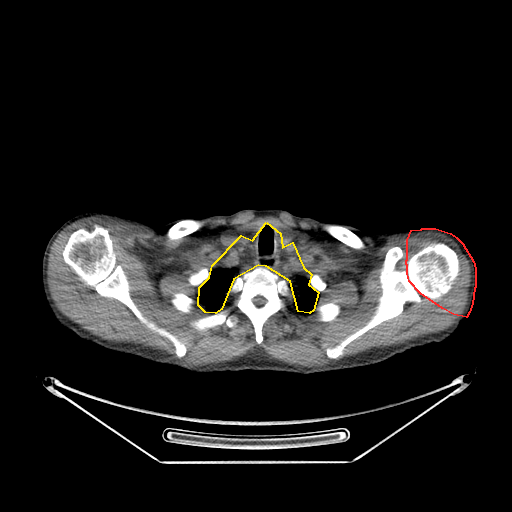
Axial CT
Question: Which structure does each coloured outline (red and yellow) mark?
Answer: red: left arm; yellow: thoracic cavity.
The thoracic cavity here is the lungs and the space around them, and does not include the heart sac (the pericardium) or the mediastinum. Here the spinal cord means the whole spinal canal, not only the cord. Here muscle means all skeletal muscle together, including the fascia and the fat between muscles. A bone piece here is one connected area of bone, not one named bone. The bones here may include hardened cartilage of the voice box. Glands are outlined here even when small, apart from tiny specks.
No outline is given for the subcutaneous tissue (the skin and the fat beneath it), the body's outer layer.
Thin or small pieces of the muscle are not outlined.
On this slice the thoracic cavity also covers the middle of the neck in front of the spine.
{"left_arm":[[[422,228],[435,228],[450,233],[456,237],[462,243],[473,261],[475,268],[475,287],[474,288],[472,303],[469,312],[466,317],[453,314],[442,308],[420,293],[409,281],[407,273],[407,265],[406,264],[406,260],[407,259],[407,240],[411,230],[421,229]]],"thoracic_cavity":[[[266,222],[280,233],[282,247],[292,242],[303,267],[311,274],[308,284],[318,292],[313,310],[309,313],[298,311],[290,281],[266,266],[258,265],[233,279],[221,309],[215,313],[205,312],[198,305],[199,287],[209,277],[212,265],[241,235],[252,240]]],"thyroid_glands":[[[260,219],[266,219],[266,221],[273,220],[276,222],[282,222],[291,228],[294,233],[294,236],[286,245],[282,246],[281,233],[278,232],[278,230],[271,222],[266,221],[259,228],[256,235],[252,239],[249,238],[238,232],[237,228],[249,222]]],"spinal_cord":[[[258,295],[259,295],[260,296],[262,296],[264,298],[265,298],[265,299],[266,300],[266,302],[262,306],[261,306],[260,307],[258,307],[257,306],[256,306],[253,303],[253,302],[252,301],[252,299],[254,297],[255,297],[256,296],[257,296]]],"torso":[[[242,209],[283,209],[296,216],[350,224],[367,232],[410,230],[405,260],[408,281],[442,309],[465,318],[440,342],[369,365],[309,374],[250,369],[195,372],[82,339],[58,322],[46,299],[80,296],[104,285],[133,219],[159,226],[179,218],[229,215]]],"muscle":[{"outer":[[243,212],[257,216],[285,213],[298,221],[325,224],[323,229],[329,235],[354,249],[362,249],[362,239],[367,237],[383,244],[391,236],[444,235],[456,243],[470,267],[465,309],[451,326],[437,333],[313,367],[288,364],[256,350],[233,360],[189,365],[158,349],[103,339],[65,316],[51,298],[48,256],[65,227],[82,218],[99,216],[141,226],[158,235],[166,232],[169,239],[176,240],[199,230],[202,220],[229,219]],"holes":[[[260,219],[291,228],[303,267],[326,283],[316,303],[334,301],[340,312],[319,321],[314,309],[301,313],[286,298],[263,324],[259,344],[226,293],[221,309],[229,308],[236,324],[197,330],[190,322],[210,314],[189,276],[210,272],[242,234],[237,228]],[[433,242],[442,242],[457,254],[459,270],[451,288],[439,298],[422,295],[419,302],[406,302],[401,313],[350,342],[342,355],[329,358],[328,347],[363,327],[374,314],[382,294],[379,275],[387,251],[401,248],[403,256],[395,268],[405,270],[409,259]],[[95,224],[108,231],[116,264],[121,266],[127,277],[129,294],[136,307],[148,320],[174,335],[186,346],[186,352],[182,357],[176,355],[170,340],[148,328],[119,300],[101,296],[91,285],[80,280],[64,261],[62,253],[72,232],[80,228],[91,231]],[[177,292],[180,292],[181,293],[183,293],[187,296],[188,296],[189,297],[191,297],[194,299],[195,302],[192,305],[192,308],[189,312],[183,312],[182,311],[177,309],[172,304],[172,303],[171,302],[171,299],[172,298],[174,293],[176,293]]]}],"right_arm":[[[90,211],[116,214],[132,219],[131,227],[119,252],[119,255],[116,260],[111,274],[107,280],[105,281],[104,284],[92,291],[71,297],[45,298],[42,286],[41,266],[42,265],[43,253],[48,240],[52,234],[68,219],[77,214]]],"bones":[[[433,242],[442,242],[457,254],[459,270],[451,288],[439,298],[422,295],[419,302],[406,302],[401,313],[350,342],[342,355],[329,358],[328,347],[363,327],[374,314],[382,294],[379,275],[387,251],[401,248],[403,256],[395,268],[405,270],[409,259]],[[95,224],[108,231],[116,264],[121,266],[127,277],[129,294],[136,307],[148,320],[174,335],[186,346],[186,352],[182,357],[176,355],[170,340],[148,328],[119,300],[101,296],[91,285],[80,280],[64,261],[62,253],[72,232],[80,228],[91,231]],{"outer":[[258,266],[266,267],[270,271],[277,274],[280,278],[286,280],[293,295],[292,299],[285,299],[286,306],[284,309],[271,315],[265,321],[261,330],[263,340],[259,344],[256,342],[254,327],[250,319],[234,306],[234,296],[227,293],[237,276],[243,275]],"hole":[[258,295],[259,295],[260,296],[262,296],[264,298],[265,298],[265,299],[266,300],[266,302],[262,306],[261,306],[260,307],[258,307],[257,306],[256,306],[253,303],[253,302],[252,301],[252,299],[254,297],[255,297],[256,296],[257,296]]},[[227,308],[229,308],[231,310],[231,312],[235,314],[237,317],[237,322],[233,327],[228,327],[224,323],[223,323],[220,325],[217,325],[211,328],[207,328],[203,330],[197,330],[190,324],[190,322],[193,320],[204,317],[210,314],[215,314],[219,311]],[[326,224],[337,224],[338,225],[341,225],[342,226],[344,226],[346,227],[352,232],[353,232],[356,235],[357,235],[362,240],[364,244],[364,246],[362,248],[354,248],[338,240],[336,238],[335,238],[333,236],[329,234],[324,229],[324,226]],[[186,219],[194,219],[195,220],[201,220],[203,222],[202,226],[199,229],[196,230],[194,232],[190,233],[187,235],[182,236],[179,238],[177,238],[176,239],[171,239],[169,238],[167,235],[167,231],[169,229],[169,228],[177,222],[181,220],[185,220]],[[332,301],[334,301],[337,304],[339,305],[340,307],[340,312],[338,314],[338,315],[333,320],[331,321],[319,321],[317,319],[318,317],[318,314],[315,311],[314,309],[316,305],[317,304],[324,304],[325,303],[328,303]],[[177,292],[180,292],[181,293],[183,293],[187,296],[188,296],[189,297],[191,297],[194,299],[195,302],[192,305],[192,308],[189,312],[183,312],[182,311],[177,309],[172,304],[172,303],[171,302],[171,299],[172,298],[174,293],[176,293]],[[202,268],[206,268],[208,270],[208,271],[209,272],[209,275],[208,276],[208,277],[199,286],[195,286],[194,285],[192,285],[191,284],[190,284],[188,281],[188,278],[189,277],[189,276],[191,274],[192,274],[193,273],[195,273],[196,272],[199,271]],[[313,274],[317,274],[321,278],[321,279],[323,281],[324,281],[326,283],[326,287],[322,291],[321,291],[320,292],[319,292],[318,291],[317,291],[316,290],[315,290],[309,284],[309,279],[310,278],[310,277]]]}